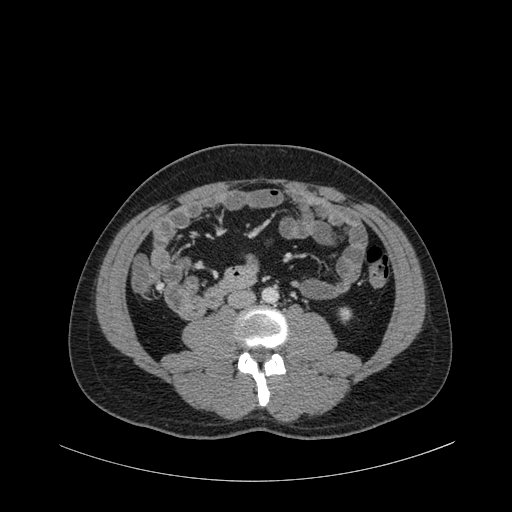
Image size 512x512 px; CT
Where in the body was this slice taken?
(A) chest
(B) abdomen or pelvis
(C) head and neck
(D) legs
Answer: (B) abdomen or pelvis
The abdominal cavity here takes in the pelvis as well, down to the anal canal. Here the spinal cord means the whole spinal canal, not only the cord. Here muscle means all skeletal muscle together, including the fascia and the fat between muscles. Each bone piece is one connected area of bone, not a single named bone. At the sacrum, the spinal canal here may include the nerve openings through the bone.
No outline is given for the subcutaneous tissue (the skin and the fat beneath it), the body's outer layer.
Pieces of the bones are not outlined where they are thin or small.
bones: 260,406 265,406 269,401 270,393 266,378 272,374 283,374 286,371 283,358 277,350 286,341 289,329 286,317 280,310 255,305 233,314 232,327 234,336 243,348 238,356 237,369 240,372 249,373 255,380; inner edge: 259,361 262,361 267,357 267,355 268,354 269,354 269,350 267,350 266,349 265,349 264,348 262,348 261,347 260,347 259,348 256,348 255,349 252,350 252,351 251,352 252,353 254,358 255,358
abdominal cavity: 363,360 378,346 391,312 392,266 378,236 350,210 330,200 265,182 248,184 165,216 133,257 127,302 138,338 155,359 183,348 182,329 200,316 219,310 235,314 255,304 284,313 296,303 322,315 338,348
torso: 305,440 371,429 425,406 437,395 452,358 449,312 437,269 421,236 390,196 335,156 276,143 228,143 191,152 145,179 93,245 80,273 69,317 67,345 73,375 87,398 107,413 177,437 216,439 261,430
muscle: 280,422 290,422 320,415 331,409 341,401 352,384 391,363 393,357 405,349 421,329 425,313 424,283 418,259 405,234 381,210 358,197 331,187 284,178 270,179 259,177 205,185 173,196 145,209 126,223 117,233 99,270 96,282 95,309 98,322 105,337 114,347 129,356 135,364 171,384 186,402 210,416 221,419 239,419 254,409 265,409; inner edge: 260,406 269,401 266,378 286,371 277,350 291,305 322,315 338,348 364,360 394,298 389,255 363,221 265,182 162,218 136,251 126,286 138,338 155,359 184,347 188,322 231,313 243,348 237,369 255,380
spinal cord: 259,361 262,361 267,357 267,355 268,354 269,354 269,350 267,350 266,349 265,349 264,348 262,348 261,347 260,347 259,348 256,348 255,349 252,350 252,351 251,352 252,353 254,358 255,358